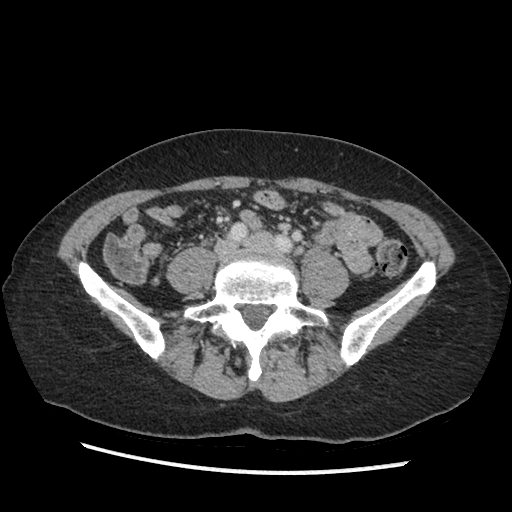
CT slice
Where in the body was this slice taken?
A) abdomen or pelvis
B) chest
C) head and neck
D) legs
Answer: A) abdomen or pelvis
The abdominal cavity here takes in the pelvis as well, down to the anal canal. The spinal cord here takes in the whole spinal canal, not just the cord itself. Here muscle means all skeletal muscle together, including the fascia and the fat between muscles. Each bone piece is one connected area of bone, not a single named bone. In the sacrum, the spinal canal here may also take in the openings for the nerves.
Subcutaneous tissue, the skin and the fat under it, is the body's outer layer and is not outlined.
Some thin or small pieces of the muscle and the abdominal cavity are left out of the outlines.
Outlines (x, y in pixels):
spinal cord: (239, 304) (241, 304) (242, 305) (247, 305) (248, 304) (250, 305) (266, 305) (267, 306) (269, 305) (271, 306) (272, 310) (271, 312) (267, 316) (263, 324) (258, 329) (252, 329) (245, 321) (243, 317) (242, 312) (241, 311) (237, 310) (236, 307) (237, 305)
bones 1: (250, 247) (291, 260) (299, 278) (298, 298) (322, 309) (329, 320) (326, 327) (304, 325) (292, 337) (272, 337) (260, 352) (261, 374) (256, 381) (248, 378) (250, 356) (242, 342) (213, 334) (208, 321) (183, 318) (186, 306) (204, 303) (215, 295) (214, 278) (224, 258), around a hole outlined by (239, 304) (241, 304) (242, 305) (247, 305) (248, 304) (250, 305) (266, 305) (267, 306) (269, 305) (271, 306) (272, 310) (271, 312) (267, 316) (263, 324) (258, 329) (252, 329) (245, 321) (243, 317) (242, 312) (241, 311) (237, 310) (236, 307) (237, 305)
bones 2: (428, 259) (433, 260) (436, 266) (437, 279) (434, 287) (427, 294) (422, 294) (412, 299) (387, 319) (375, 333) (371, 343) (366, 349) (366, 352) (355, 364) (348, 368) (346, 367) (340, 357) (341, 337) (346, 324) (387, 301) (404, 285) (417, 270) (421, 263)
bones 3: (80, 260) (84, 260) (88, 262) (111, 288) (119, 295) (138, 309) (160, 321) (161, 323) (160, 329) (164, 337) (165, 349) (157, 361) (154, 361) (141, 349) (135, 341) (132, 332) (119, 316) (112, 311) (104, 308) (94, 297) (85, 291) (80, 283) (77, 275) (77, 264)
abdominal cavity: (256, 184) (331, 194) (395, 221) (420, 264) (367, 305) (346, 315) (324, 310) (350, 277) (317, 245) (304, 252) (299, 277) (277, 251) (238, 248) (217, 268) (209, 248) (185, 248) (165, 270) (184, 295) (175, 309) (144, 304) (92, 266) (94, 240) (130, 206) (173, 192)
muscle 1: (194, 246) (215, 256) (214, 295) (187, 304) (182, 318) (208, 322) (213, 335) (242, 343) (251, 382) (261, 376) (261, 352) (275, 336) (292, 338) (304, 326) (326, 328) (330, 324) (326, 312) (349, 315) (406, 281) (387, 300) (345, 324) (339, 357) (350, 368) (335, 381) (284, 402) (266, 400) (258, 389) (222, 400) (172, 378) (154, 362) (166, 349) (161, 321) (108, 283) (154, 309) (179, 309) (185, 295) (170, 284) (166, 270) (172, 258)
muscle 2: (222, 175) (270, 179) (307, 177) (332, 182) (358, 195) (411, 204) (439, 225) (454, 250) (455, 261) (434, 288) (438, 279) (436, 262) (428, 258) (420, 262) (413, 242) (395, 220) (371, 205) (331, 193) (301, 191) (268, 183) (173, 191) (127, 207) (93, 240) (88, 254) (91, 265) (84, 259) (76, 264) (76, 275) (78, 281) (84, 291) (104, 309) (121, 319) (137, 345) (88, 301) (88, 296) (81, 291) (56, 255) (61, 238) (82, 212) (110, 195) (134, 189) (160, 189)
muscle 3: (314, 246) (327, 250) (330, 254) (339, 260) (345, 268) (349, 277) (349, 285) (337, 298) (336, 303) (325, 309) (314, 307) (308, 304) (308, 301) (305, 297) (302, 300) (299, 298) (299, 296) (304, 296) (301, 292) (299, 292) (300, 271) (302, 263) (301, 261) (305, 252)
muscle 4: (433, 289) (432, 292) (428, 297) (429, 301) (427, 305) (423, 308) (419, 314) (408, 322) (402, 330) (391, 341) (388, 343) (379, 345) (368, 353) (363, 359) (360, 360) (367, 352) (367, 349) (372, 343) (378, 330) (387, 320) (397, 313) (412, 300) (419, 296) (427, 295)
torso: (213, 128) (300, 132) (363, 146) (415, 174) (488, 242) (508, 272) (508, 296) (487, 365) (463, 403) (390, 437) (326, 443) (264, 439) (247, 433) (190, 439) (155, 437) (95, 422) (44, 400) (17, 349) (4, 302) (3, 282) (19, 244) (52, 207) (120, 159) (156, 142)